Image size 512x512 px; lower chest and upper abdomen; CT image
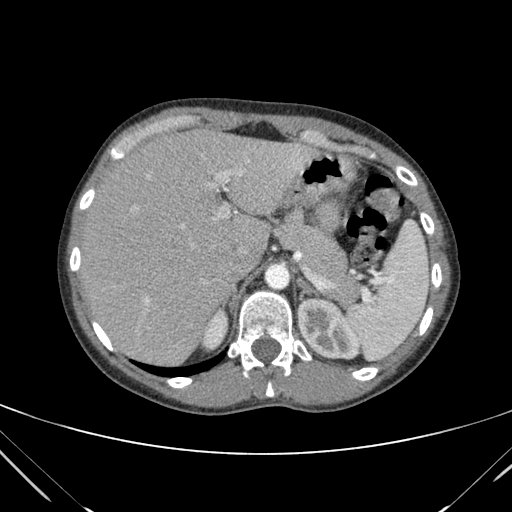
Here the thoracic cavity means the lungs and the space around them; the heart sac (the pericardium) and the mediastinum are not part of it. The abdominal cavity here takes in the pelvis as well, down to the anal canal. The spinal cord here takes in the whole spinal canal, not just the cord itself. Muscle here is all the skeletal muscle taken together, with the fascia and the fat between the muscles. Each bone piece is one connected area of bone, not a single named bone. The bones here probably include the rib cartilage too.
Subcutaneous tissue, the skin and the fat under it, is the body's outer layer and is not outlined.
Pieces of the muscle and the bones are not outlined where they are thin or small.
{"spinal_cord":[[[267,364],[268,363],[269,363],[269,362],[278,354],[278,353],[280,350],[280,345],[279,344],[279,343],[274,339],[272,339],[269,337],[261,337],[259,339],[256,340],[253,343],[253,344],[252,345],[252,351],[253,352],[253,354],[258,359],[263,361]]],"bones":[{"outer":[[245,377],[248,377],[248,372],[256,366],[265,371],[280,366],[284,374],[288,375],[291,372],[294,354],[303,360],[312,360],[312,355],[302,341],[293,336],[291,308],[283,295],[257,290],[242,302],[237,336],[228,347],[226,355],[230,358],[240,356]],"hole":[[267,364],[268,363],[269,363],[269,362],[278,354],[278,353],[280,350],[280,345],[279,344],[279,343],[274,339],[272,339],[269,337],[261,337],[259,339],[256,340],[253,343],[253,344],[252,345],[252,351],[253,352],[253,354],[258,359],[263,361]]},[[112,160],[117,160],[123,157],[132,146],[142,137],[158,131],[167,130],[176,127],[187,126],[195,123],[199,119],[199,116],[191,114],[180,114],[174,116],[170,115],[164,118],[155,120],[143,127],[140,127],[134,131],[128,133],[110,150],[109,154]],[[372,160],[377,160],[376,153],[365,146],[348,143],[340,144],[336,142],[332,142],[328,140],[320,132],[311,129],[304,130],[300,133],[300,138],[310,143],[313,143],[316,145],[319,145],[322,147],[325,147],[336,151],[348,151],[361,155]],[[410,186],[416,186],[418,183],[418,182],[417,181],[415,176],[412,173],[412,172],[406,167],[405,167],[402,165],[400,165],[399,164],[396,164],[395,165],[394,165],[393,166],[393,170],[394,171],[394,172],[396,174],[396,175],[404,183],[405,183]],[[362,381],[364,380],[368,380],[372,378],[374,376],[375,376],[376,374],[379,371],[379,367],[375,365],[370,365],[369,366],[365,366],[359,369],[354,370],[351,373],[351,375],[354,378],[358,380],[361,380]],[[112,352],[113,351],[115,351],[115,349],[112,345],[109,338],[107,336],[107,335],[105,333],[105,332],[103,330],[101,326],[94,319],[92,320],[91,321],[91,323],[92,324],[93,329],[96,335],[98,337],[100,341],[110,351]],[[418,335],[422,335],[425,332],[425,331],[427,329],[427,328],[431,321],[431,319],[432,318],[432,315],[433,314],[433,307],[431,305],[428,305],[427,306],[427,307],[424,312],[424,314],[420,321],[420,323],[418,326],[418,332],[417,333],[417,334]],[[428,235],[432,235],[434,232],[434,225],[433,224],[433,221],[432,220],[432,219],[431,218],[431,217],[426,212],[425,212],[424,211],[420,211],[419,212],[419,215],[420,216],[420,220],[422,223],[422,225],[424,228],[424,230],[426,232],[426,233]],[[80,210],[85,210],[89,206],[89,205],[91,203],[91,201],[92,200],[92,199],[93,198],[93,196],[94,195],[94,194],[95,193],[95,189],[93,187],[90,187],[83,194],[83,195],[81,197],[81,198],[80,199],[80,201],[79,202],[79,209]]],"abdominal_cavity":[[[163,367],[227,348],[241,302],[257,289],[288,299],[293,330],[317,357],[361,367],[393,354],[417,328],[431,288],[427,237],[403,183],[371,160],[290,139],[265,121],[229,130],[196,123],[142,138],[104,174],[86,210],[80,270],[113,345],[129,359]]],"muscle":[{"outer":[[214,408],[230,406],[246,400],[254,401],[258,399],[261,400],[267,398],[265,396],[264,392],[266,387],[266,382],[269,379],[272,381],[273,384],[275,395],[272,398],[274,399],[281,399],[305,405],[321,405],[322,404],[326,405],[349,400],[360,396],[371,390],[384,379],[388,378],[395,373],[397,371],[397,369],[408,358],[413,355],[415,351],[427,338],[443,311],[451,285],[451,277],[450,276],[451,269],[447,254],[445,251],[447,241],[444,237],[445,231],[441,219],[437,216],[435,207],[431,200],[429,192],[424,181],[417,171],[406,160],[382,144],[370,139],[364,135],[357,133],[340,124],[321,118],[313,116],[302,116],[301,115],[261,114],[254,112],[242,112],[226,109],[214,109],[204,106],[196,106],[195,107],[176,106],[164,109],[128,126],[120,132],[107,146],[79,193],[71,215],[71,225],[66,247],[65,262],[66,263],[67,276],[69,280],[71,291],[71,300],[76,318],[84,333],[95,348],[111,365],[119,369],[129,377],[152,388],[166,397],[172,398],[182,403],[201,407],[213,407]],"hole":[[178,388],[226,355],[240,356],[245,377],[256,366],[265,371],[280,366],[288,375],[296,354],[307,361],[315,355],[358,365],[351,375],[368,380],[379,371],[374,364],[393,354],[416,328],[422,335],[433,314],[427,304],[430,289],[439,287],[441,269],[430,260],[426,235],[433,234],[433,221],[426,212],[417,211],[403,187],[417,185],[412,172],[399,164],[390,172],[373,161],[376,153],[367,147],[332,142],[315,130],[304,130],[301,139],[294,140],[265,121],[224,130],[197,124],[199,116],[191,114],[155,120],[113,146],[109,154],[116,162],[98,187],[90,187],[80,199],[79,209],[86,215],[80,246],[71,250],[70,269],[82,272],[96,318],[91,323],[100,341]]}],"torso":[[[205,416],[272,406],[308,413],[355,407],[409,375],[443,333],[460,287],[455,234],[424,170],[375,125],[343,111],[306,103],[232,97],[169,99],[147,106],[117,125],[79,179],[64,213],[56,252],[59,294],[78,343],[94,365],[124,389],[169,409]]],"thoracic_cavity":[[[164,376],[191,375],[194,373],[197,373],[200,371],[208,369],[219,362],[225,356],[225,353],[227,349],[209,360],[201,362],[198,364],[178,368],[163,368],[157,366],[151,366],[147,364],[137,362],[134,360],[130,360],[132,363],[147,371]]]}